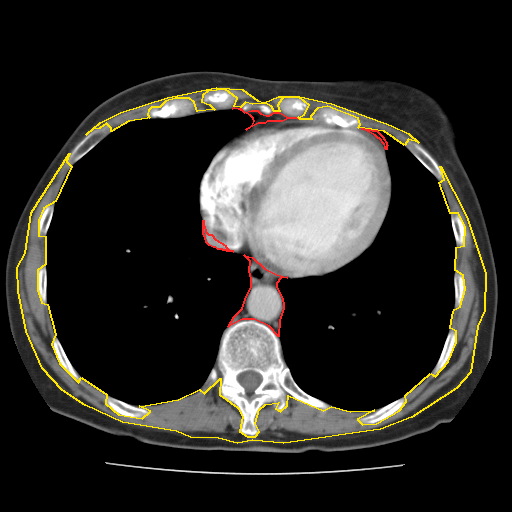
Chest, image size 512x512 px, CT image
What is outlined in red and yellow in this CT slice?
red: mediastinum; yellow: muscle.
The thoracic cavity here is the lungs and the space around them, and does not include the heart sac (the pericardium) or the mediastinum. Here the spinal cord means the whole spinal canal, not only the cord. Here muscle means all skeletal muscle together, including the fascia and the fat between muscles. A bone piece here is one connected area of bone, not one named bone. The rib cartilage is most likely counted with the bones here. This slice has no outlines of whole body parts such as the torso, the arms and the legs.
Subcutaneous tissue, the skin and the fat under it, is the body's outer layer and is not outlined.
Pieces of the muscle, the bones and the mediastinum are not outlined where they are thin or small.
Outlines (x, y in pixels):
mediastinum 1: (244, 255) (252, 257) (264, 268) (276, 274) (287, 277) (280, 278) (276, 283) (276, 287) (281, 296) (283, 303) (283, 308) (279, 320) (278, 336) (269, 326) (254, 319) (242, 319) (228, 326) (234, 316) (242, 308) (246, 296) (251, 287) (251, 279) (249, 270) (250, 261)
mediastinum 2: (234, 107) (240, 108) (244, 112) (251, 110) (257, 110) (260, 113) (266, 115) (269, 115) (274, 112) (279, 112) (288, 117) (298, 118) (288, 118) (282, 121) (267, 121) (264, 123) (258, 123) (246, 129) (252, 125) (254, 121) (253, 118) (250, 115) (238, 109) (232, 108)
mediastinum 3: (203, 220) (203, 225) (204, 226) (205, 231) (208, 234) (211, 234) (215, 239) (225, 245) (225, 246) (228, 249) (233, 251) (227, 251) (226, 250) (223, 250) (222, 249) (218, 249) (215, 247) (213, 247) (209, 245) (206, 242) (205, 237) (203, 234)
mediastinum 4: (361, 128) (365, 128) (366, 129) (371, 129) (372, 130) (377, 130) (377, 131) (383, 137) (383, 138) (386, 142) (386, 144) (387, 145) (386, 146) (386, 149) (385, 148) (385, 146) (384, 144) (379, 138) (378, 138) (375, 135)
muscle 1: (69, 153) (66, 161) (71, 166) (55, 201) (43, 208) (38, 220) (38, 235) (45, 236) (45, 264) (37, 270) (37, 290) (41, 302) (47, 304) (55, 334) (51, 344) (59, 363) (78, 382) (81, 377) (106, 394) (105, 403) (118, 414) (142, 418) (150, 411) (139, 406) (178, 399) (199, 389) (204, 393) (220, 378) (219, 394) (237, 407) (242, 416) (239, 431) (247, 436) (255, 436) (259, 431) (255, 423) (259, 409) (265, 404) (278, 402) (275, 408) (280, 411) (287, 405) (288, 395) (323, 410) (331, 406) (350, 411) (374, 410) (357, 419) (362, 424) (376, 423) (399, 410) (406, 401) (405, 395) (430, 373) (435, 376) (448, 361) (456, 342) (456, 331) (450, 328) (452, 315) (454, 309) (460, 306) (465, 289) (463, 275) (455, 270) (456, 247) (464, 245) (465, 226) (458, 213) (450, 213) (439, 182) (444, 179) (440, 166) (466, 216) (485, 273) (484, 310) (477, 326) (470, 372) (456, 388) (411, 417) (380, 429) (283, 443) (252, 440) (237, 443) (218, 438) (190, 437) (176, 431) (122, 422) (85, 405) (62, 390) (42, 368) (26, 331) (18, 291) (17, 267) (25, 253) (31, 212)
muscle 2: (216, 87) (242, 89) (257, 100) (264, 102) (278, 96) (299, 96) (331, 103) (391, 125) (408, 133) (418, 142) (408, 139) (404, 145) (384, 131) (358, 127) (360, 124) (358, 118) (327, 106) (317, 108) (310, 116) (311, 119) (300, 119) (298, 117) (304, 114) (309, 105) (299, 97) (285, 97) (281, 99) (277, 105) (279, 111) (274, 111) (271, 106) (265, 103) (252, 104) (245, 102) (240, 107) (234, 106) (237, 98) (225, 89) (207, 91) (202, 95) (201, 101) (209, 104) (214, 109) (197, 111) (194, 102) (189, 98) (175, 98) (165, 101) (159, 107) (151, 107) (148, 110) (147, 114) (149, 117) (147, 118) (128, 121) (111, 131) (111, 128) (106, 123) (99, 128) (92, 129) (86, 134) (100, 122) (120, 112) (167, 97)
bones 1: (242, 320) (254, 320) (269, 327) (279, 338) (283, 360) (297, 385) (330, 407) (314, 407) (288, 394) (286, 405) (280, 410) (276, 408) (278, 401) (263, 404) (254, 417) (257, 433) (243, 434) (241, 412) (220, 394) (221, 378) (204, 392) (200, 390) (216, 363) (223, 332), around a hole outlined by (246, 371) (254, 371) (255, 372) (258, 373) (261, 376) (261, 381) (260, 382) (260, 383) (251, 393) (249, 393) (248, 392) (247, 392) (247, 391) (245, 389) (245, 388) (239, 382) (239, 381) (238, 380) (238, 376) (241, 373) (242, 373) (243, 372) (245, 372)
bones 2: (181, 98) (187, 98) (193, 102) (194, 104) (194, 108) (196, 111) (194, 113) (184, 115) (183, 116) (176, 116) (175, 117) (150, 117) (149, 116) (148, 113) (149, 112) (149, 110) (151, 108) (153, 107) (159, 108) (165, 102) (168, 102) (175, 99) (180, 99)
bones 3: (106, 124) (107, 124) (110, 128) (110, 131) (106, 135) (102, 137) (93, 147) (92, 147) (78, 160) (77, 160) (74, 163) (70, 165) (67, 161) (68, 160) (68, 157) (70, 153) (75, 147) (75, 146) (92, 130) (96, 128) (98, 128) (99, 129) (102, 126) (104, 126)
bones 4: (321, 107) (327, 107) (328, 108) (336, 109) (341, 112) (353, 116) (358, 119) (359, 124) (357, 126) (349, 126) (343, 124) (338, 124) (337, 123) (331, 123) (330, 122) (324, 122) (323, 121) (314, 120) (311, 118) (311, 116) (317, 109)
bones 5: (408, 140) (410, 140) (411, 141) (413, 141) (414, 142) (418, 143) (435, 160) (442, 172) (442, 174) (443, 175) (443, 179) (441, 180) (438, 180) (435, 177) (435, 176) (431, 172) (430, 172) (430, 171) (428, 170) (425, 167) (425, 166) (406, 147) (406, 144)
bones 6: (107, 395) (109, 396) (111, 396) (116, 399) (118, 399) (128, 404) (130, 404) (134, 406) (138, 406) (139, 407) (142, 407) (148, 410) (149, 411) (149, 413) (142, 417) (128, 417) (127, 416) (122, 415) (118, 413) (116, 411) (115, 411) (106, 403) (105, 401) (105, 397)
bones 7: (216, 90) (220, 90) (221, 91) (223, 90) (225, 90) (231, 93) (236, 98) (235, 100) (235, 102) (233, 105) (233, 107) (231, 108) (226, 108) (225, 109) (215, 109) (209, 103) (205, 103) (203, 102) (202, 101) (202, 97) (205, 93) (207, 92) (212, 92)
bones 8: (403, 396) (405, 396) (405, 401) (402, 405) (402, 406) (399, 409) (398, 409) (392, 414) (389, 415) (387, 417) (381, 420) (379, 420) (376, 422) (374, 422) (373, 423) (362, 423) (358, 420) (359, 418) (361, 418) (364, 416) (369, 415) (371, 414) (375, 410)
bones 9: (285, 98) (299, 98) (305, 101) (307, 103) (308, 105) (308, 107) (307, 109) (303, 113) (303, 114) (300, 116) (298, 116) (297, 117) (294, 117) (293, 116) (288, 116) (287, 115) (285, 115) (281, 113) (278, 108) (278, 105) (280, 101)
bones 10: (451, 328) (454, 329) (455, 331) (455, 342) (454, 343) (452, 351) (447, 361) (445, 363) (444, 366) (435, 375) (433, 376) (431, 374) (431, 372) (433, 368) (435, 366) (440, 356) (440, 354) (442, 351) (442, 349) (443, 348) (445, 340) (447, 337) (448, 332)
bones 11: (55, 335) (60, 342) (62, 346) (62, 348) (66, 356) (68, 358) (70, 363) (72, 365) (74, 369) (77, 372) (77, 373) (80, 376) (80, 381) (78, 381) (74, 377) (73, 377) (62, 366) (62, 365) (60, 363) (54, 351) (53, 345) (52, 344) (52, 338) (53, 336)
bones 12: (451, 213) (453, 213) (454, 214) (458, 214) (460, 216) (461, 220) (463, 223) (465, 233) (464, 234) (464, 239) (463, 240) (463, 245) (462, 246) (459, 246) (458, 247) (456, 246) (455, 237) (454, 236) (454, 233) (453, 232) (453, 229) (452, 228) (452, 224) (451, 223)
bones 13: (48, 204) (53, 204) (54, 205) (53, 206) (53, 212) (52, 213) (51, 220) (50, 221) (50, 223) (49, 224) (49, 226) (48, 227) (48, 229) (47, 230) (46, 234) (45, 235) (41, 235) (40, 236) (39, 235) (39, 232) (38, 231) (39, 220) (44, 208)
bones 14: (455, 271) (458, 271) (462, 275) (462, 276) (463, 277) (463, 281) (464, 282) (464, 289) (463, 290) (463, 294) (462, 295) (462, 298) (461, 299) (461, 302) (460, 303) (459, 306) (457, 308) (454, 308) (454, 300) (455, 299) (454, 298) (454, 274) (455, 273)
bones 15: (42, 265) (45, 265) (45, 268) (46, 269) (46, 304) (44, 304) (42, 302) (42, 301) (41, 300) (41, 299) (40, 298) (40, 295) (39, 294) (39, 291) (38, 290) (38, 285) (37, 284) (37, 276) (38, 275) (38, 270) (39, 269) (39, 268)
spinal cord: (246, 371) (254, 371) (255, 372) (258, 373) (261, 376) (261, 381) (260, 382) (260, 383) (251, 393) (249, 393) (248, 392) (247, 392) (247, 391) (245, 389) (245, 388) (239, 382) (239, 381) (238, 380) (238, 376) (241, 373) (242, 373) (243, 372) (245, 372)
pericardium: (288, 119) (313, 120) (357, 127) (379, 139) (385, 149) (391, 180) (391, 194) (384, 219) (373, 241) (362, 253) (338, 269) (323, 275) (288, 277) (264, 267) (252, 256) (228, 248) (211, 233) (208, 233) (200, 212) (200, 180) (218, 150) (242, 132) (258, 124) (282, 122)
thoracic cavity 1: (226, 109) (238, 110) (253, 121) (212, 156) (198, 184) (199, 213) (209, 246) (248, 259) (250, 287) (241, 308) (222, 332) (215, 363) (202, 385) (185, 396) (134, 405) (84, 379) (55, 333) (47, 303) (46, 268) (46, 235) (54, 204) (73, 164) (115, 128) (141, 119)
thoracic cavity 2: (378, 131) (405, 146) (434, 176) (443, 191) (455, 242) (453, 310) (439, 356) (420, 383) (376, 409) (350, 410) (311, 395) (295, 381) (282, 354) (279, 329) (284, 303) (277, 283) (282, 278) (321, 277) (334, 272) (357, 258) (374, 241) (392, 194) (386, 155) (388, 145)